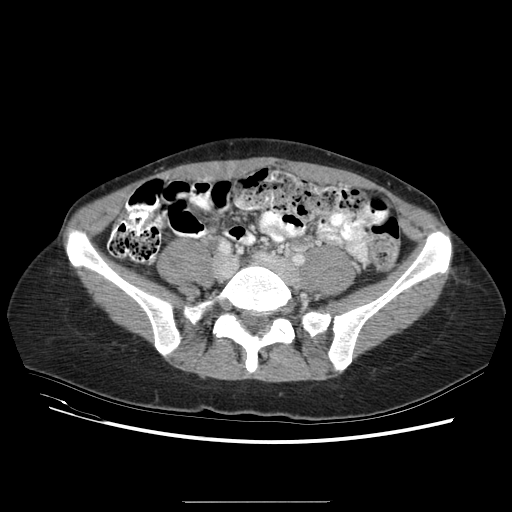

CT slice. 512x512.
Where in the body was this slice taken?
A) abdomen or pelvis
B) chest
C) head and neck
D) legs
A) abdomen or pelvis
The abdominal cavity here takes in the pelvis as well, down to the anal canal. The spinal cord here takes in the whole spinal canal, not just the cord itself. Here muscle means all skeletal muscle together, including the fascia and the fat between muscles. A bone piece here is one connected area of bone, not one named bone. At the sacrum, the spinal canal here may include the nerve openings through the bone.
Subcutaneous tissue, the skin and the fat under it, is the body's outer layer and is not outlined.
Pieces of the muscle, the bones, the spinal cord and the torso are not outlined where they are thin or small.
{"bones":[{"outer":[[249,373],[257,370],[262,347],[290,343],[295,337],[287,315],[271,318],[259,333],[248,331],[236,317],[237,309],[271,312],[293,300],[280,275],[261,265],[239,268],[211,300],[183,303],[183,315],[192,324],[208,313],[217,338],[229,337],[243,347]],"hole":[[219,310],[230,310],[231,309],[231,305],[230,304],[230,303],[229,302],[229,301],[227,299],[223,299],[222,300],[219,300],[218,301],[216,301],[215,302],[215,305],[216,306],[216,307]]},[[339,372],[351,363],[361,329],[370,318],[418,283],[438,274],[447,273],[452,255],[449,234],[440,230],[429,233],[421,252],[375,299],[334,316],[330,312],[319,310],[307,311],[299,316],[302,328],[311,337],[325,331],[332,323],[333,338],[327,355]],[[164,357],[175,349],[181,340],[180,332],[174,320],[172,304],[169,301],[147,292],[124,279],[91,245],[88,236],[84,231],[79,229],[70,229],[64,245],[70,263],[74,267],[83,267],[100,275],[131,298],[147,317],[153,334],[154,347]]],"torso":[[[311,423],[374,417],[427,401],[466,382],[487,365],[502,325],[505,304],[494,279],[447,225],[437,204],[377,166],[315,144],[273,136],[228,135],[187,146],[105,181],[76,199],[56,235],[30,261],[12,290],[7,317],[31,374],[138,409],[282,415]]],"spinal_cord":[[[251,332],[259,332],[264,330],[269,325],[271,317],[283,314],[293,314],[295,313],[296,312],[295,302],[291,301],[286,307],[279,311],[275,311],[271,313],[270,312],[245,310],[244,309],[237,310],[236,311],[237,317],[245,327]]],"muscle":[{"outer":[[266,382],[322,380],[338,376],[341,373],[339,373],[333,368],[326,355],[328,346],[332,338],[331,323],[325,332],[311,338],[301,328],[298,316],[307,310],[315,309],[330,311],[331,314],[334,315],[359,304],[367,302],[382,293],[420,252],[426,236],[429,232],[435,229],[440,229],[447,232],[445,226],[432,213],[406,202],[384,187],[355,173],[319,164],[294,161],[272,156],[252,157],[239,160],[197,162],[180,165],[164,171],[156,172],[146,178],[141,178],[133,181],[128,185],[86,203],[76,210],[67,222],[62,233],[62,246],[66,263],[70,274],[78,280],[94,301],[103,308],[115,322],[128,330],[140,335],[153,347],[150,326],[146,317],[137,305],[120,290],[109,282],[102,279],[100,276],[83,268],[74,268],[69,263],[63,246],[66,240],[67,232],[70,228],[82,229],[89,236],[92,245],[99,251],[106,261],[124,278],[147,291],[169,300],[173,304],[175,320],[181,332],[182,340],[179,346],[165,358],[156,351],[164,361],[186,372],[195,373],[203,379],[207,377],[223,380],[259,379]],"hole":[[249,373],[262,347],[295,337],[287,315],[311,247],[336,245],[352,261],[356,279],[336,299],[404,258],[414,244],[385,194],[265,163],[237,178],[152,178],[127,195],[96,242],[159,281],[166,245],[194,237],[214,280],[183,315],[212,316]]},[[352,363],[361,353],[379,343],[389,335],[400,331],[423,314],[434,303],[442,291],[442,289],[445,286],[450,271],[450,266],[450,269],[446,275],[438,275],[418,284],[409,291],[397,297],[390,304],[370,319],[362,329],[355,349],[356,355],[354,357]]],"abdominal_cavity":[[[298,303],[311,247],[336,245],[352,261],[356,279],[336,299],[383,279],[413,246],[391,200],[375,190],[319,183],[272,163],[237,178],[152,178],[95,238],[115,263],[159,281],[155,261],[166,245],[194,237],[215,272],[201,299],[239,267],[261,264]]]}